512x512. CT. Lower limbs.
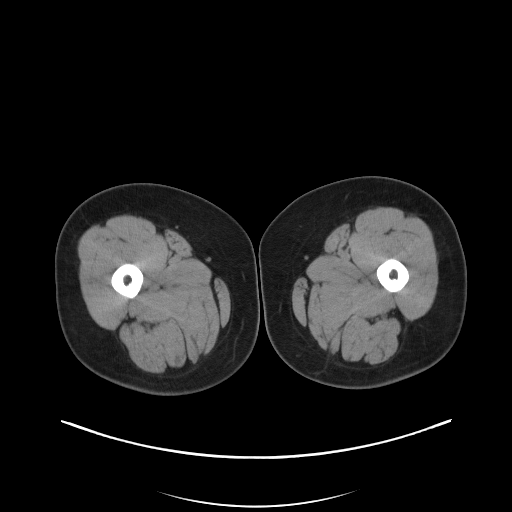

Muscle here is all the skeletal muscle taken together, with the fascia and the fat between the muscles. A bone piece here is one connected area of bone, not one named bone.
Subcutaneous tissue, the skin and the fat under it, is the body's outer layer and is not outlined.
Outlined structures:
bones 1: [[124,263],[133,263],[134,264],[136,264],[141,270],[143,274],[143,282],[140,288],[140,290],[133,298],[127,298],[125,296],[121,295],[119,293],[118,293],[112,287],[111,283],[110,282],[110,280],[111,279],[111,275],[112,273],[120,265]]
bones 2: [[388,258],[395,258],[399,260],[403,264],[404,264],[404,265],[407,268],[408,272],[409,273],[409,278],[408,279],[408,281],[406,283],[406,284],[399,291],[397,292],[390,292],[385,289],[379,282],[376,275],[376,269],[377,267],[382,262],[383,262]]
muscle 1: [[376,206],[397,207],[406,213],[416,215],[427,224],[432,232],[437,252],[438,285],[431,308],[413,323],[400,351],[389,362],[372,369],[353,369],[327,360],[320,351],[304,342],[298,335],[292,320],[289,283],[297,270],[323,245],[334,228],[360,212]], around a hole outlined by [[388,258],[395,258],[399,260],[403,264],[404,264],[404,265],[407,268],[408,272],[409,273],[409,278],[408,279],[408,281],[406,283],[406,284],[399,291],[397,292],[390,292],[385,289],[379,282],[376,275],[376,269],[377,267],[382,262],[383,262]]
muscle 2: [[121,214],[141,216],[177,231],[230,289],[231,309],[228,331],[222,340],[216,344],[207,359],[189,373],[158,377],[136,368],[120,341],[107,330],[98,326],[87,310],[81,294],[78,277],[77,244],[79,238],[93,224],[99,223],[103,225],[108,218]] with a hole at [[124,263],[133,263],[134,264],[136,264],[141,270],[143,274],[143,282],[140,288],[140,290],[133,298],[127,298],[125,296],[121,295],[119,293],[118,293],[112,287],[111,283],[110,282],[110,280],[111,279],[111,275],[112,273],[120,265]]
left leg: [[361,175],[381,175],[407,181],[422,188],[441,203],[456,226],[464,251],[467,266],[467,301],[460,333],[448,353],[435,365],[386,386],[344,389],[321,384],[302,376],[275,352],[266,333],[262,303],[260,306],[256,255],[265,228],[291,201],[326,183]]
right leg: [[129,182],[161,183],[199,195],[232,215],[246,230],[252,242],[260,307],[257,339],[251,354],[239,370],[206,390],[180,396],[157,396],[124,388],[99,377],[82,365],[63,336],[57,315],[54,281],[54,253],[60,230],[70,213],[86,198],[105,188]]